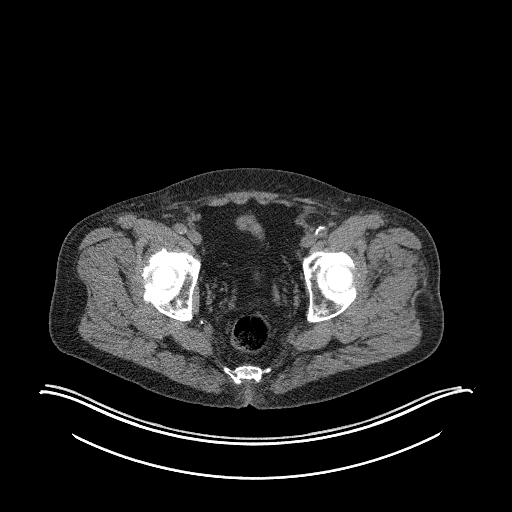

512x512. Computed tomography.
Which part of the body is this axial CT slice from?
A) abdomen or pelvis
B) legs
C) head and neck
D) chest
Answer: A) abdomen or pelvis
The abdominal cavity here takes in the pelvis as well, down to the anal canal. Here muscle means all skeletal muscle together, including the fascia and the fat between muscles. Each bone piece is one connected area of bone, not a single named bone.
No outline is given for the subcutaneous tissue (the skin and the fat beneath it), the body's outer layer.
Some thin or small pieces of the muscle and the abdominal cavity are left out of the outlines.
Outlined structures:
abdominal cavity: (250, 199) (264, 205) (303, 204) (294, 225) (302, 232) (300, 244) (311, 246) (301, 260) (308, 303) (305, 323) (287, 333) (279, 356) (263, 367) (246, 363) (233, 367) (220, 357) (213, 329) (198, 322) (202, 261) (196, 249) (200, 249) (202, 237) (194, 209) (243, 204)
muscle: (242, 190) (310, 198) (333, 208) (368, 209) (412, 229) (427, 266) (427, 279) (415, 299) (419, 343) (386, 360) (276, 394) (263, 385) (228, 385) (219, 393) (206, 392) (84, 340) (78, 325) (87, 291) (76, 266) (78, 247) (88, 232) (112, 225) (124, 212) (149, 212), around a hole outlined by (250, 199) (303, 204) (294, 221) (300, 244) (311, 246) (308, 254) (346, 252) (358, 275) (341, 313) (292, 328) (271, 370) (236, 384) (222, 369) (233, 367) (213, 329) (198, 322) (199, 285) (192, 319) (180, 321) (144, 301) (142, 271) (162, 247) (199, 256) (195, 208)
bones 1: (162, 247) (164, 247) (168, 251) (176, 252) (186, 251) (198, 257) (201, 261) (197, 283) (193, 289) (192, 294) (193, 317) (189, 321) (180, 321) (169, 317) (160, 312) (150, 302) (145, 302) (143, 299) (144, 291) (142, 277) (143, 268) (148, 263) (148, 259) (150, 255)
bones 2: (321, 250) (326, 252) (344, 251) (352, 258) (358, 275) (356, 284) (356, 296) (353, 301) (341, 313) (336, 316) (322, 321) (309, 322) (306, 319) (306, 314) (309, 304) (309, 293) (305, 283) (304, 273) (302, 268) (302, 260) (306, 255) (314, 251) (320, 251)
bones 3: (241, 365) (254, 365) (259, 366) (262, 368) (268, 366) (271, 368) (271, 370) (269, 372) (264, 373) (259, 382) (256, 382) (253, 379) (245, 379) (244, 378) (241, 380) (240, 384) (236, 384) (231, 377) (223, 371) (222, 367) (227, 366) (230, 368) (234, 368)
torso: (225, 168) (273, 168) (301, 173) (400, 208) (421, 221) (435, 242) (440, 261) (444, 328) (436, 350) (413, 366) (341, 397) (299, 407) (264, 410) (250, 404) (238, 409) (217, 408) (168, 398) (60, 351) (49, 335) (48, 314) (59, 249) (70, 228) (82, 218) (116, 202)